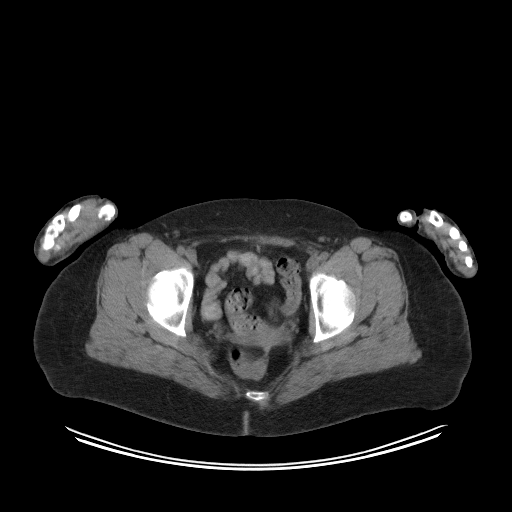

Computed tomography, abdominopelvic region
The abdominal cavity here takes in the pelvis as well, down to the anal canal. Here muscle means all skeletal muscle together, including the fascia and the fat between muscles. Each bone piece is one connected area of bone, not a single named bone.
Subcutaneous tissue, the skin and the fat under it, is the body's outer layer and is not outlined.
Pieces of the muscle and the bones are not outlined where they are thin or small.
{"torso":[[[231,197],[309,200],[338,209],[363,227],[391,227],[423,244],[458,291],[467,315],[472,359],[457,397],[435,410],[393,409],[311,431],[258,437],[192,431],[53,390],[35,359],[32,339],[43,295],[59,271],[116,227],[135,227],[183,206]]],"right_arm":[[[86,194],[98,194],[101,197],[107,197],[111,199],[117,207],[117,216],[105,229],[82,243],[66,258],[52,266],[45,266],[43,265],[38,261],[33,253],[33,243],[38,232],[45,222],[65,203],[72,199],[74,199],[79,196],[85,195]]],"abdominal_cavity":[[[234,240],[264,245],[295,247],[308,253],[311,257],[311,274],[308,278],[310,303],[308,311],[308,335],[292,352],[291,359],[285,368],[267,385],[259,389],[242,385],[228,373],[222,372],[218,368],[213,349],[193,329],[194,250],[202,243],[231,243]]],"bones":[[[179,267],[185,267],[192,270],[194,275],[193,293],[189,301],[187,307],[186,316],[185,317],[184,329],[186,335],[184,337],[175,334],[156,322],[149,314],[146,306],[146,301],[147,300],[146,298],[146,288],[152,277],[160,270],[163,269],[172,269]],[[318,272],[321,272],[328,275],[333,275],[335,276],[336,278],[338,279],[343,279],[346,282],[355,295],[355,313],[352,322],[341,332],[329,338],[324,339],[315,343],[313,342],[313,337],[315,334],[315,317],[310,302],[309,278],[313,273],[317,273]],[[76,203],[80,203],[82,205],[78,216],[73,222],[67,222],[64,229],[54,239],[55,244],[59,246],[60,248],[58,250],[54,248],[51,248],[48,250],[43,249],[41,245],[43,241],[43,236],[47,226],[52,219],[60,213],[66,213],[71,206]],[[105,203],[111,203],[112,204],[113,204],[113,205],[115,208],[115,213],[114,214],[114,215],[113,216],[113,217],[110,220],[105,220],[103,218],[99,218],[97,215],[97,214],[98,213],[98,210],[99,209],[99,207],[101,205],[102,205]],[[450,225],[452,225],[454,226],[456,228],[457,228],[457,229],[459,231],[461,238],[464,241],[465,241],[465,242],[467,244],[467,250],[466,251],[462,251],[460,250],[458,247],[458,242],[456,240],[453,239],[449,235],[449,233],[448,232],[448,229]],[[249,390],[258,390],[259,391],[267,391],[269,393],[269,397],[267,399],[265,399],[264,400],[252,400],[251,399],[248,399],[245,396],[245,393],[247,391],[248,391]],[[432,210],[434,210],[440,214],[440,215],[441,216],[441,217],[442,218],[442,219],[444,222],[444,225],[443,225],[440,227],[436,227],[433,224],[432,224],[430,222],[429,222],[427,220],[427,217],[428,216],[428,215],[429,214],[429,213]],[[403,211],[407,211],[408,212],[409,212],[411,214],[411,215],[412,216],[412,220],[411,221],[410,221],[409,220],[408,220],[406,222],[403,222],[402,221],[401,221],[401,220],[399,217],[399,215],[400,214],[400,213]]],"left_arm":[[[424,207],[435,208],[446,213],[458,224],[465,234],[478,264],[477,272],[472,278],[464,279],[454,275],[447,267],[444,256],[436,244],[432,240],[420,236],[417,233],[417,227],[415,225],[407,227],[398,223],[397,216],[405,209],[412,209],[418,215]]],"muscle":[{"outer":[[140,231],[158,232],[170,240],[260,233],[300,237],[336,247],[357,236],[378,240],[398,255],[408,290],[407,320],[421,357],[411,364],[328,382],[269,410],[262,410],[247,399],[212,398],[171,379],[92,358],[84,346],[96,315],[100,268],[114,242]],"hole":[[234,240],[295,247],[304,251],[311,257],[311,274],[321,272],[343,279],[355,295],[352,322],[341,332],[315,343],[315,317],[312,306],[309,305],[308,335],[292,352],[285,368],[258,390],[269,393],[269,397],[264,400],[248,399],[245,393],[253,389],[218,368],[213,349],[193,329],[192,296],[185,317],[184,337],[156,322],[146,306],[146,288],[157,272],[179,267],[192,270],[194,250],[198,245],[206,242],[231,243]]},[[89,198],[106,202],[98,207],[96,214],[105,223],[95,232],[76,241],[58,255],[46,261],[43,260],[38,252],[41,237],[40,245],[43,250],[58,251],[61,247],[56,244],[55,239],[65,229],[67,223],[73,223],[79,216],[83,207],[79,202]],[[428,212],[426,220],[436,228],[444,226],[444,220],[451,224],[448,226],[447,232],[457,242],[460,251],[466,252],[469,248],[471,256],[466,254],[464,263],[471,268],[473,260],[475,269],[472,274],[466,275],[459,271],[440,242],[425,231],[420,218]]]}